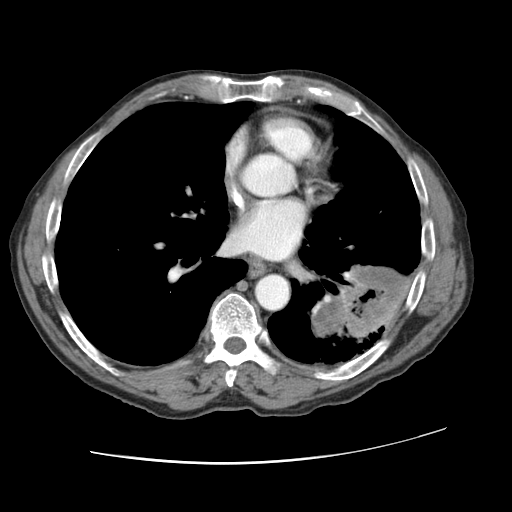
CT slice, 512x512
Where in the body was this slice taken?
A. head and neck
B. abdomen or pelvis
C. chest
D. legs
C. chest
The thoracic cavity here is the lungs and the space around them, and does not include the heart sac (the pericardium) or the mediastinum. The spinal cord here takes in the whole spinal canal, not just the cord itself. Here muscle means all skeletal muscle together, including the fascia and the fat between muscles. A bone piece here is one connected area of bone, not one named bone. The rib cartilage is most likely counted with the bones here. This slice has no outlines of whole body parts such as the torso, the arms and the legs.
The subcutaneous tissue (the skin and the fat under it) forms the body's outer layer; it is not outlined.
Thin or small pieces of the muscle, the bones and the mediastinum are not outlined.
Outlined structures:
thoracic cavity 1: (162, 98) (252, 103) (250, 113) (224, 145) (223, 183) (229, 219) (223, 245) (227, 249) (226, 257) (242, 260) (246, 269) (239, 280) (215, 298) (198, 340) (183, 356) (158, 365) (133, 365) (102, 353) (74, 321) (59, 289) (54, 246) (69, 185) (85, 160) (123, 120)
thoracic cavity 2: (319, 105) (330, 105) (360, 121) (392, 146) (406, 165) (421, 222) (419, 266) (404, 305) (380, 339) (336, 366) (287, 357) (264, 326) (292, 298) (294, 273) (304, 267) (298, 251) (314, 211) (332, 200) (343, 187) (331, 174) (338, 150) (334, 143) (336, 120) (317, 108)
spinal cord: (232, 337) (238, 337) (239, 338) (242, 339) (245, 343) (245, 347) (237, 353) (232, 353) (231, 352) (230, 352) (228, 350) (227, 350) (224, 346) (224, 344) (225, 343) (225, 342) (229, 338) (231, 338)
muscle 1: (282, 74) (321, 79) (352, 94) (427, 162) (439, 178) (460, 234) (467, 276) (460, 307) (424, 348) (399, 365) (337, 392) (282, 408) (261, 407) (229, 388) (201, 407) (176, 410) (94, 378) (46, 333) (25, 296) (17, 264) (24, 222) (58, 163) (79, 144) (63, 175) (62, 183) (68, 186) (65, 197) (63, 201) (54, 196) (48, 206) (44, 232) (46, 242) (54, 242) (53, 254) (41, 255) (41, 267) (50, 293) (58, 289) (67, 309) (57, 314) (71, 339) (116, 377) (125, 373) (105, 356) (133, 366) (172, 362) (159, 369) (169, 370) (191, 363) (190, 357) (182, 357) (201, 339) (210, 345) (202, 361) (224, 362) (228, 367) (224, 380) (230, 388) (236, 368) (247, 361) (275, 375) (282, 364) (276, 357) (333, 366) (316, 368) (312, 373) (316, 379) (348, 380) (390, 346) (392, 339) (383, 337) (402, 308) (408, 315) (416, 308) (427, 276) (423, 268) (417, 271) (421, 257) (431, 262) (436, 253) (434, 222) (430, 216) (421, 221) (420, 205) (427, 207) (429, 198) (417, 162) (411, 156) (402, 159) (358, 100) (306, 83) (298, 87) (299, 96) (287, 99) (288, 82)
muscle 2: (189, 74) (201, 74) (199, 75) (198, 80) (192, 84) (192, 87) (199, 98) (209, 101) (184, 99) (183, 97) (164, 97) (169, 92) (164, 89) (151, 95) (148, 98) (151, 102) (134, 111) (107, 134) (102, 128) (98, 129) (124, 103) (146, 88) (160, 82)
mediastinum 1: (229, 220) (227, 240) (240, 258) (279, 264) (293, 259) (297, 253) (303, 264) (303, 267) (293, 273) (289, 302) (273, 313) (265, 325) (259, 321) (255, 307) (238, 292) (230, 291) (214, 301) (223, 291) (239, 281) (247, 269) (242, 259) (227, 257) (228, 249) (224, 241)
mediastinum 2: (295, 97) (317, 100) (327, 104) (319, 104) (316, 108) (334, 118) (334, 132) (332, 130) (332, 124) (328, 120) (322, 117) (302, 113) (282, 105) (262, 107) (254, 111) (249, 116) (253, 103) (251, 101) (240, 100) (248, 99) (258, 102) (271, 103) (281, 100) (289, 100)
pericardium: (272, 106) (290, 108) (302, 114) (322, 118) (331, 124) (336, 149) (330, 174) (341, 187) (332, 199) (319, 205) (313, 211) (312, 219) (304, 230) (304, 239) (295, 256) (279, 263) (244, 259) (236, 253) (228, 240) (230, 216) (224, 183) (225, 145) (239, 126) (254, 112)
bones 1: (230, 292) (238, 293) (248, 300) (254, 307) (258, 321) (267, 329) (270, 340) (286, 357) (275, 357) (281, 364) (273, 375) (252, 360) (242, 362) (235, 368) (236, 375) (230, 387) (225, 380) (229, 367) (222, 360) (205, 363) (203, 358) (211, 345) (200, 338) (212, 305), around a hole outlined by (232, 337) (238, 337) (239, 338) (242, 339) (245, 343) (245, 347) (237, 353) (232, 353) (231, 352) (230, 352) (228, 350) (227, 350) (224, 346) (224, 344) (225, 343) (225, 342) (229, 338) (231, 338)
bones 2: (202, 74) (215, 74) (229, 77) (234, 80) (258, 80) (270, 75) (283, 76) (287, 82) (286, 86) (287, 92) (285, 95) (286, 99) (268, 102) (244, 98) (226, 103) (219, 103) (206, 100) (199, 97) (196, 94) (196, 90) (193, 87) (193, 84) (199, 80) (199, 77)
bones 3: (306, 84) (311, 86) (321, 86) (329, 90) (343, 94) (354, 100) (358, 101) (360, 105) (382, 127) (387, 134) (387, 137) (382, 136) (365, 123) (352, 116) (346, 114) (342, 110) (330, 104) (320, 101) (317, 99) (304, 98) (300, 96) (300, 92) (298, 89) (300, 86)
bones 4: (382, 338) (389, 338) (391, 339) (391, 342) (389, 346) (373, 363) (361, 371) (360, 373) (348, 379) (343, 379) (342, 380) (327, 380) (326, 379) (316, 378) (313, 376) (313, 373) (316, 369) (324, 370) (325, 371) (339, 365) (341, 365) (343, 363) (359, 356) (372, 347)
bones 5: (59, 310) (61, 310) (62, 311) (65, 311) (66, 310) (68, 311) (70, 316) (77, 327) (83, 335) (102, 354) (104, 355) (104, 359) (112, 366) (122, 371) (124, 374) (120, 376) (116, 376) (95, 362) (89, 356) (88, 356) (77, 345) (66, 330) (58, 314) (58, 311)
bones 6: (100, 129) (102, 129) (103, 130) (103, 132) (105, 135) (98, 142) (98, 143) (93, 148) (84, 160) (76, 172) (75, 175) (71, 180) (70, 183) (68, 185) (65, 185) (63, 183) (64, 175) (65, 174) (66, 169) (76, 150) (80, 144) (84, 140) (85, 140) (86, 138)
bones 7: (54, 197) (59, 198) (62, 200) (62, 207) (61, 208) (61, 214) (60, 215) (59, 228) (55, 236) (55, 239) (53, 242) (48, 243) (46, 240) (46, 233) (45, 232) (45, 228) (46, 227) (46, 219) (47, 218) (47, 214) (48, 213) (48, 210) (49, 209) (50, 203)
bones 8: (427, 217) (430, 217) (433, 222) (433, 229) (434, 230) (434, 236) (435, 237) (435, 253) (434, 254) (434, 256) (433, 257) (433, 259) (431, 261) (428, 261) (425, 258) (425, 257) (424, 256) (423, 256) (421, 254) (421, 229) (422, 228) (422, 221) (425, 218) (426, 218)
bones 9: (408, 157) (411, 157) (414, 159) (420, 170) (420, 172) (421, 173) (421, 175) (426, 188) (426, 191) (427, 192) (427, 197) (428, 198) (428, 204) (427, 206) (425, 206) (423, 204) (420, 204) (419, 202) (413, 182) (411, 179) (411, 177) (406, 164) (406, 160)
bones 10: (420, 269) (423, 269) (426, 273) (426, 276) (425, 277) (425, 282) (424, 283) (423, 290) (422, 291) (421, 296) (415, 308) (410, 314) (408, 314) (408, 311) (404, 307) (405, 305) (405, 302) (408, 296) (410, 288) (412, 285) (414, 277) (416, 273)
bones 11: (45, 252) (49, 252) (53, 255) (53, 258) (55, 263) (55, 268) (57, 273) (57, 278) (58, 279) (58, 288) (53, 294) (51, 293) (47, 285) (47, 283) (44, 276) (44, 273) (43, 272) (43, 268) (42, 267) (42, 261) (41, 260) (41, 257)